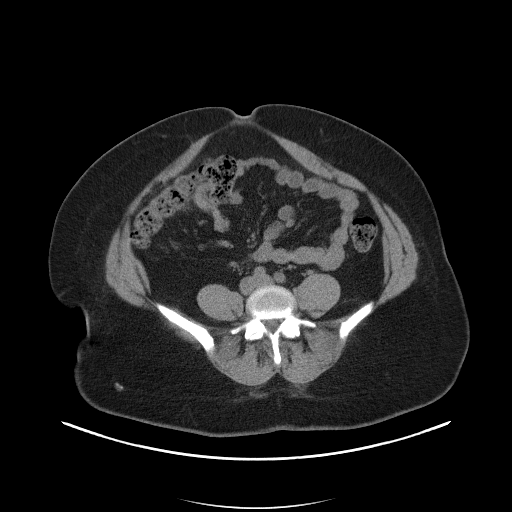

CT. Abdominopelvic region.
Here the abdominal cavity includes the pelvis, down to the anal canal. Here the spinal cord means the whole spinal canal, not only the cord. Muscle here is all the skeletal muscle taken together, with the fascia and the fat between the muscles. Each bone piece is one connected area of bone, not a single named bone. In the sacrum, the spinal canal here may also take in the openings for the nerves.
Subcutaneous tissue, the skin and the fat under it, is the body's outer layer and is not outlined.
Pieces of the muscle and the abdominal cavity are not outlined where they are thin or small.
The bones appear in 3 outlined pieces: piece 1: (270, 284) (288, 289) (295, 298) (294, 313) (316, 325) (301, 325) (299, 336) (280, 338) (278, 346) (281, 361) (278, 365) (273, 361) (273, 350) (267, 337) (247, 340) (243, 330) (234, 334) (230, 332) (231, 328) (250, 318) (246, 310) (246, 300) (250, 294) (258, 287), around a hole outlined by (273, 319) (275, 319) (276, 320) (278, 320) (279, 321) (279, 323) (278, 324) (278, 325) (277, 326) (277, 327) (275, 329) (275, 330) (274, 331) (270, 331) (266, 327) (266, 326) (265, 325) (265, 323) (264, 322) (264, 321) (267, 321) (268, 320) (272, 320); piece 2: (155, 302) (160, 302) (166, 305) (168, 307) (173, 309) (189, 320) (196, 322) (197, 323) (199, 323) (204, 327) (205, 327) (208, 330) (214, 340) (214, 350) (211, 353) (207, 353) (203, 348) (202, 345) (190, 333) (182, 329) (174, 323) (169, 321) (158, 310) (155, 305); piece 3: (370, 300) (372, 300) (373, 301) (373, 308) (372, 309) (372, 311) (357, 324) (357, 325) (348, 334) (345, 340) (343, 341) (341, 340) (339, 338) (339, 336) (338, 335) (338, 330) (339, 329) (339, 326) (341, 322) (345, 320) (351, 314) (356, 311) (362, 305) (363, 305). The abdominal cavity is outlined by (241, 125) (275, 140) (308, 171) (367, 196) (382, 226) (383, 278) (375, 298) (319, 319) (341, 296) (328, 273) (310, 273) (292, 292) (258, 286) (245, 307) (237, 291) (208, 283) (195, 299) (207, 316) (227, 323) (213, 325) (154, 297) (130, 245) (130, 215) (212, 137). The spinal cord is outlined by (273, 319) (275, 319) (276, 320) (278, 320) (279, 321) (279, 323) (278, 324) (278, 325) (277, 326) (277, 327) (275, 329) (275, 330) (274, 331) (270, 331) (266, 327) (266, 326) (265, 325) (265, 323) (264, 322) (264, 321) (267, 321) (268, 320) (272, 320). The torso is outlined by (266, 103) (305, 106) (353, 123) (395, 148) (419, 174) (470, 322) (456, 382) (426, 406) (343, 430) (213, 437) (93, 408) (79, 395) (72, 375) (76, 346) (86, 332) (84, 316) (58, 301) (48, 276) (49, 243) (63, 199) (100, 155) (160, 119) (204, 106) (245, 115). The muscle is outlined by (237, 121) (254, 121) (258, 125) (267, 128) (280, 136) (287, 138) (298, 143) (300, 145) (302, 145) (316, 155) (319, 156) (323, 160) (331, 164) (334, 167) (347, 172) (356, 177) (382, 201) (389, 205) (400, 217) (402, 221) (407, 226) (412, 236) (412, 239) (415, 244) (415, 247) (418, 253) (418, 265) (416, 269) (416, 278) (415, 280) (409, 287) (398, 295) (388, 300) (372, 313) (365, 320) (364, 323) (360, 325) (354, 332) (351, 340) (347, 343) (337, 362) (332, 367) (308, 383) (291, 383) (289, 381) (284, 379) (277, 373) (267, 382) (259, 386) (249, 386) (234, 381) (217, 370) (212, 365) (202, 350) (195, 348) (191, 343) (178, 337) (172, 330) (166, 327) (156, 315) (146, 309) (144, 309) (142, 307) (138, 307) (132, 305) (120, 298) (113, 289) (108, 285) (105, 280) (105, 266) (104, 265) (105, 264) (105, 255) (107, 251) (107, 248) (109, 245) (111, 237) (115, 229) (119, 224) (126, 207) (132, 199) (155, 175) (181, 154) (192, 142) (197, 140) (200, 137) (205, 134) (207, 134) (209, 132) (211, 132) (216, 129) (221, 128) (224, 126) (226, 126) (228, 124) (231, 124) with a hole at (241, 125) (275, 140) (308, 171) (363, 192) (382, 226) (382, 287) (372, 311) (341, 340) (341, 322) (359, 308) (319, 319) (338, 302) (341, 286) (328, 273) (310, 273) (292, 290) (294, 313) (316, 325) (280, 338) (278, 365) (267, 337) (247, 340) (243, 330) (230, 332) (250, 315) (243, 297) (221, 283) (202, 286) (195, 299) (223, 325) (166, 305) (208, 330) (211, 353) (169, 321) (155, 305) (128, 236) (130, 215) (156, 184) (185, 168) (212, 137).